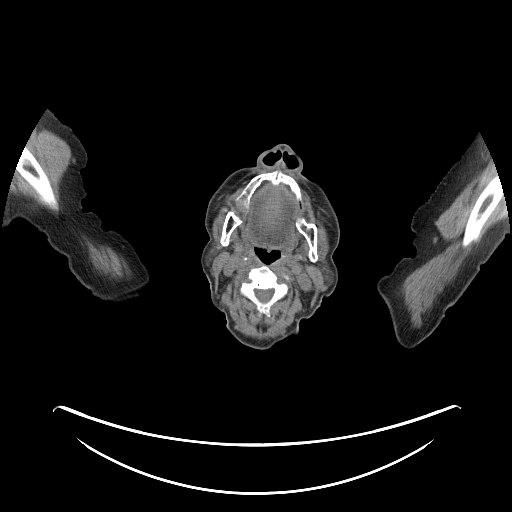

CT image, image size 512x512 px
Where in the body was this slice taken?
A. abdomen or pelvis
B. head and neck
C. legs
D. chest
B. head and neck
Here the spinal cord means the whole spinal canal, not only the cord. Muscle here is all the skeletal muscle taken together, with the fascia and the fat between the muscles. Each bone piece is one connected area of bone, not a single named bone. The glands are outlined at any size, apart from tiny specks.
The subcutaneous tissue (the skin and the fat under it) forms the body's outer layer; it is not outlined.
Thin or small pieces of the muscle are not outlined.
{"right_arm":[[[47,109],[72,128],[86,150],[87,164],[81,170],[87,193],[83,210],[95,212],[104,229],[122,234],[149,272],[149,283],[140,297],[121,304],[100,301],[78,282],[67,267],[66,257],[50,247],[43,233],[22,219],[4,228],[2,225],[16,165]]],"spinal_cord":[[[255,289],[261,289],[262,290],[267,290],[268,289],[272,289],[273,290],[273,293],[272,294],[271,297],[267,301],[266,301],[265,302],[263,302],[262,301],[259,300],[258,299],[258,298],[256,296],[256,295],[255,294]]],"bones":[[[497,172],[497,174],[501,182],[504,196],[501,199],[501,202],[500,202],[495,208],[483,225],[481,229],[481,235],[480,237],[476,241],[473,242],[466,247],[463,247],[461,244],[461,242],[462,241],[464,229],[469,214],[478,196],[486,186],[490,179]],{"outer":[[262,264],[266,264],[278,277],[280,278],[284,274],[288,277],[285,280],[285,282],[288,286],[287,293],[282,298],[277,300],[270,307],[269,316],[259,313],[257,310],[256,305],[239,291],[240,284],[246,278],[248,272],[252,268],[259,267]],"hole":[[255,289],[261,289],[262,290],[267,290],[268,289],[272,289],[273,290],[273,293],[272,294],[271,297],[267,301],[266,301],[265,302],[263,302],[262,301],[259,300],[258,299],[258,298],[256,296],[256,295],[255,294]]},[[25,146],[28,147],[28,149],[30,152],[35,157],[41,166],[42,169],[46,174],[50,182],[54,194],[59,204],[59,209],[57,211],[51,209],[45,203],[44,203],[40,199],[39,195],[36,191],[28,183],[28,182],[15,171],[16,169],[16,165]],[[276,169],[281,170],[295,179],[300,187],[302,196],[301,200],[296,199],[295,195],[288,185],[282,182],[274,185],[269,180],[264,180],[253,192],[249,200],[249,206],[247,209],[240,201],[238,202],[235,201],[235,199],[251,178],[260,173],[269,172]],[[301,216],[303,217],[307,222],[315,224],[316,228],[317,229],[317,254],[318,255],[318,258],[315,262],[312,262],[310,261],[308,257],[309,245],[307,242],[307,240],[305,238],[305,237],[297,229],[296,225],[295,224],[296,219],[298,217],[300,217]],[[229,211],[233,211],[238,216],[239,216],[241,218],[242,222],[240,224],[239,224],[232,231],[230,235],[230,237],[229,238],[229,243],[228,245],[227,246],[222,246],[220,243],[221,232],[222,231],[222,227],[223,226],[223,224],[225,220],[226,214]]],"left_arm":[[[477,132],[487,147],[501,182],[509,232],[489,260],[480,266],[479,273],[460,299],[447,309],[435,330],[414,348],[405,349],[396,341],[388,309],[376,290],[376,282],[389,273],[400,259],[416,254],[412,243],[415,234],[410,229],[412,216],[460,158]]],"muscle":[{"outer":[[278,167],[299,176],[318,198],[329,216],[330,224],[333,231],[333,242],[326,254],[326,257],[321,262],[322,279],[328,287],[319,294],[311,307],[297,316],[291,325],[286,329],[284,334],[268,339],[257,339],[246,336],[234,328],[234,322],[228,310],[220,303],[220,300],[216,295],[214,278],[208,269],[217,254],[217,249],[212,242],[214,236],[210,226],[210,215],[213,206],[219,196],[236,180],[257,169],[273,169]],"holes":[[[258,248],[267,252],[277,250],[279,256],[266,264],[278,277],[280,278],[284,274],[288,277],[285,280],[288,286],[287,293],[270,307],[269,316],[259,313],[256,305],[239,291],[240,284],[246,278],[248,272],[252,268],[259,267],[264,263],[256,253]],[[276,169],[281,170],[295,179],[300,187],[302,196],[301,200],[296,199],[295,195],[288,185],[282,182],[274,185],[269,180],[264,180],[253,192],[249,200],[249,206],[247,209],[240,201],[238,202],[235,201],[235,199],[251,178],[260,173],[269,172]],[[301,216],[303,217],[307,222],[315,224],[316,228],[317,229],[317,254],[318,255],[318,258],[315,262],[312,262],[310,261],[308,257],[309,245],[307,242],[307,240],[305,238],[305,237],[297,229],[296,225],[295,224],[296,219],[298,217],[300,217]],[[229,211],[233,211],[238,216],[239,216],[241,218],[242,222],[240,224],[239,224],[232,231],[230,235],[230,237],[229,238],[229,243],[228,245],[227,246],[222,246],[220,243],[221,232],[222,231],[222,227],[223,226],[223,224],[225,220],[226,214]]]},[[489,154],[496,172],[477,196],[468,214],[460,244],[466,248],[481,237],[484,225],[504,197],[508,217],[486,232],[477,249],[461,266],[455,279],[422,315],[421,325],[414,328],[397,292],[404,279],[428,259],[434,245],[437,217],[482,166],[484,158]],[[38,121],[42,124],[43,128],[52,131],[64,139],[72,152],[61,189],[63,213],[58,215],[40,206],[31,198],[16,195],[10,190],[15,172],[27,182],[38,195],[39,199],[51,210],[57,212],[60,209],[59,201],[47,174],[26,145]],[[81,234],[85,234],[97,242],[109,245],[114,250],[122,255],[125,258],[129,266],[131,268],[132,275],[130,277],[125,276],[121,279],[114,280],[109,278],[106,275],[103,275],[98,273],[91,264],[88,258],[86,248],[81,244],[80,241],[80,235]]],"parotid_glands":[[[326,258],[326,260],[327,261],[327,263],[328,264],[328,265],[329,266],[329,268],[330,269],[330,270],[332,273],[332,279],[331,280],[331,282],[330,283],[330,284],[328,286],[324,282],[324,280],[323,279],[323,274],[322,273],[322,262]],[[211,243],[212,243],[214,245],[214,247],[216,249],[216,254],[215,255],[215,256],[214,257],[214,258],[213,259],[213,261],[210,264],[210,265],[208,267],[207,267],[206,266],[206,253],[209,250],[209,247],[210,246],[210,245],[211,244]]],"head_and_neck":[{"outer":[[280,143],[298,155],[301,172],[323,189],[335,211],[338,280],[313,315],[300,321],[297,335],[255,349],[231,335],[212,304],[200,261],[209,239],[205,215],[224,179],[253,166],[262,154],[266,164],[281,157],[290,168],[298,166],[286,151],[266,152]],"hole":[[258,248],[259,249],[263,249],[267,252],[271,252],[274,250],[276,251],[277,250],[279,252],[279,256],[277,258],[274,259],[273,261],[271,261],[269,263],[264,263],[264,262],[262,261],[261,259],[260,259],[260,258],[256,253],[256,249]]}]}